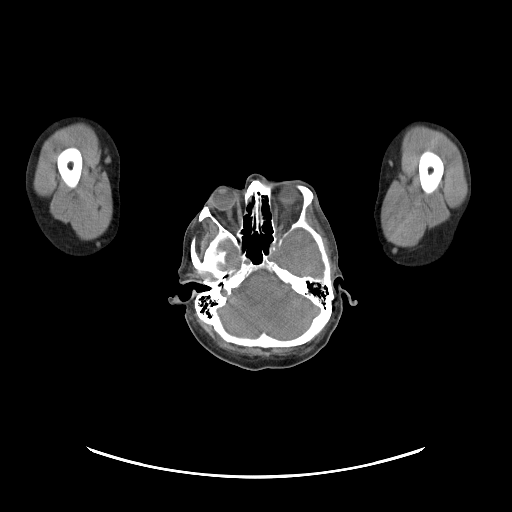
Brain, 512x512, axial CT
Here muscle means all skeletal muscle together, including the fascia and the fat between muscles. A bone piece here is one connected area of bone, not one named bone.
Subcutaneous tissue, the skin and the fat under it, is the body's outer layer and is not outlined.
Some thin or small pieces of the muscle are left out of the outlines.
Outlined structures:
brain 1: (260, 270) (274, 274) (280, 281) (289, 285) (294, 292) (309, 300) (318, 309) (308, 326) (301, 333) (294, 337) (282, 339) (270, 335) (265, 331) (262, 331) (257, 336) (251, 337) (237, 335) (226, 329) (218, 310) (227, 303) (233, 290) (237, 289) (254, 272)
brain 2: (298, 228) (300, 228) (307, 232) (310, 235) (316, 245) (317, 250) (319, 253) (320, 261) (322, 264) (321, 275) (316, 275) (314, 276) (309, 274) (306, 274) (305, 275) (298, 275) (295, 274) (288, 269) (279, 265) (274, 259) (274, 256) (282, 245) (284, 238) (295, 229)
brain 3: (226, 240) (229, 240) (237, 252) (237, 255) (239, 259) (239, 263) (237, 267) (235, 267) (234, 266) (229, 266) (226, 268) (222, 268) (221, 267) (221, 266) (224, 266) (227, 263) (227, 259) (226, 257) (228, 252) (225, 249) (220, 249) (219, 248) (219, 246) (222, 242)
muscle 1: (414, 125) (424, 125) (439, 130) (455, 143) (460, 151) (463, 161) (464, 173) (467, 183) (467, 194) (463, 204) (454, 216) (434, 227) (417, 246) (411, 249) (403, 249) (395, 247) (384, 237) (380, 224) (380, 212) (387, 189) (389, 157) (393, 153) (402, 135) (406, 130) with a hole at (427, 150) (431, 151) (437, 154) (440, 157) (443, 163) (443, 174) (441, 177) (441, 180) (438, 184) (437, 188) (433, 192) (429, 194) (427, 194) (423, 191) (421, 187) (421, 184) (420, 183) (420, 180) (419, 179) (419, 159) (420, 158) (421, 154) (424, 151) (426, 151)
muscle 2: (75, 122) (85, 122) (91, 125) (105, 141) (111, 157) (111, 191) (113, 202) (112, 219) (107, 230) (101, 236) (90, 241) (82, 241) (75, 238) (70, 234) (60, 222) (51, 216) (48, 212) (46, 206) (35, 194) (33, 190) (34, 172) (39, 152) (44, 140) (57, 129); inner edge: (68, 147) (75, 147) (77, 148) (80, 151) (81, 153) (81, 157) (82, 158) (82, 165) (81, 166) (81, 174) (80, 175) (80, 177) (79, 178) (78, 183) (77, 185) (74, 188) (69, 188) (64, 183) (58, 171) (58, 168) (57, 167) (57, 157) (58, 155) (64, 149)
muscle 3: (333, 303) (333, 320) (322, 338) (308, 352) (296, 357) (283, 359) (262, 358) (248, 360) (232, 355) (213, 343) (204, 333) (192, 314) (193, 307) (198, 318) (211, 326) (213, 330) (228, 343) (243, 347) (260, 347) (264, 349) (294, 347) (309, 342) (323, 329) (331, 317)
muscle 4: (205, 218) (209, 218) (215, 224) (215, 225) (217, 227) (217, 231) (215, 235) (209, 241) (207, 246) (204, 250) (203, 255) (201, 258) (199, 257) (196, 251) (196, 236) (195, 235) (193, 235) (192, 237) (192, 232) (194, 228) (195, 228) (198, 224) (198, 222) (201, 222)
muscle 5: (312, 203) (313, 203) (314, 213) (321, 222) (331, 242) (331, 246) (333, 251) (333, 259) (334, 260) (334, 264) (335, 265) (335, 273) (333, 277) (332, 277) (331, 275) (331, 263) (330, 262) (328, 254) (326, 251) (322, 236) (308, 222) (307, 220) (307, 209)
muscle 6: (190, 256) (190, 260) (191, 261) (191, 263) (192, 264) (193, 267) (195, 269) (195, 270) (196, 271) (197, 274) (201, 278) (200, 279) (199, 278) (196, 278) (195, 277) (193, 277) (191, 275) (188, 274) (188, 265) (189, 264) (189, 259) (190, 258)
bones 1: (252, 179) (275, 184) (272, 193) (277, 202) (277, 224) (283, 230) (297, 219) (303, 204) (296, 185) (307, 187) (313, 195) (306, 220) (321, 236) (330, 263) (334, 297) (328, 321) (309, 341) (299, 345) (264, 348) (228, 342) (199, 318) (194, 307) (196, 292) (208, 287) (200, 283) (202, 278) (192, 263) (190, 243) (195, 236) (195, 251) (201, 259) (218, 231) (209, 217) (198, 220) (200, 211) (207, 206) (222, 226) (234, 232) (242, 215) (244, 191), around holes outlined by (260, 270) (274, 274) (280, 281) (289, 285) (294, 292) (309, 300) (318, 309) (308, 326) (301, 333) (294, 337) (282, 339) (270, 335) (265, 331) (262, 331) (257, 336) (251, 337) (237, 335) (226, 329) (218, 310) (227, 303) (233, 290) (237, 289) (254, 272) and by (298, 228) (300, 228) (307, 232) (310, 235) (316, 245) (317, 250) (319, 253) (320, 261) (322, 264) (321, 275) (316, 275) (314, 276) (309, 274) (306, 274) (305, 275) (298, 275) (295, 274) (288, 269) (279, 265) (274, 259) (274, 256) (282, 245) (284, 238) (295, 229) and by (264, 196) (269, 211) (271, 240) (267, 244) (266, 251) (263, 248) (259, 251) (259, 261) (254, 261) (244, 248) (242, 231) (244, 218) (248, 213) (247, 207) (252, 202) (249, 212) (249, 224) (251, 227) (249, 234) (264, 235) (266, 233) (262, 228) (266, 222) (263, 213) and by (226, 240) (229, 240) (237, 252) (237, 255) (239, 259) (239, 263) (237, 267) (235, 267) (234, 266) (229, 266) (226, 268) (222, 268) (221, 267) (221, 266) (224, 266) (227, 263) (227, 259) (226, 257) (228, 252) (225, 249) (220, 249) (219, 248) (219, 246) (222, 242)
bones 2: (427, 150) (431, 151) (437, 154) (440, 157) (443, 163) (443, 174) (441, 177) (441, 180) (438, 184) (437, 188) (433, 192) (429, 194) (427, 194) (423, 191) (421, 187) (421, 184) (420, 183) (420, 180) (419, 179) (419, 159) (420, 158) (421, 154) (424, 151) (426, 151)
bones 3: (68, 147) (75, 147) (77, 148) (80, 151) (81, 153) (81, 157) (82, 158) (82, 165) (81, 166) (81, 174) (80, 175) (80, 177) (79, 178) (78, 183) (77, 185) (74, 188) (69, 188) (64, 183) (58, 171) (58, 168) (57, 167) (57, 157) (58, 155) (64, 149)
right arm: (71, 115) (84, 115) (94, 119) (101, 124) (112, 137) (120, 157) (119, 178) (120, 211) (119, 226) (117, 233) (112, 241) (105, 247) (92, 255) (84, 257) (75, 257) (67, 255) (52, 245) (42, 233) (36, 223) (25, 190) (26, 166) (36, 139) (40, 133) (52, 122)
left arm: (417, 119) (429, 120) (441, 124) (448, 128) (459, 139) (468, 158) (471, 175) (471, 196) (467, 208) (459, 222) (453, 241) (446, 253) (430, 264) (409, 267) (395, 263) (388, 258) (382, 250) (382, 246) (377, 237) (373, 212) (384, 152) (396, 133) (405, 124)
head: (254, 172) (313, 186) (343, 275) (333, 287) (339, 283) (357, 300) (351, 305) (344, 292) (341, 317) (326, 345) (287, 368) (248, 370) (214, 356) (190, 331) (185, 305) (167, 300) (177, 293) (184, 301) (192, 290) (208, 288) (179, 282) (185, 230) (216, 186) (241, 188) with a hole at (264, 196) (269, 211) (271, 240) (267, 244) (266, 251) (263, 248) (259, 251) (259, 261) (254, 261) (244, 248) (242, 231) (244, 218) (248, 213) (247, 207) (252, 202) (249, 212) (249, 224) (251, 227) (249, 234) (264, 235) (266, 233) (262, 228) (266, 222) (263, 213)